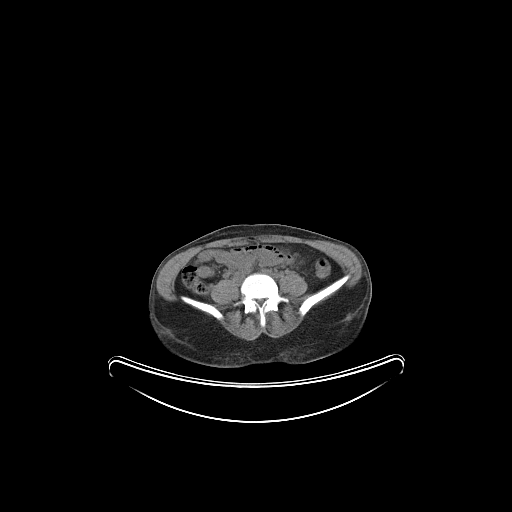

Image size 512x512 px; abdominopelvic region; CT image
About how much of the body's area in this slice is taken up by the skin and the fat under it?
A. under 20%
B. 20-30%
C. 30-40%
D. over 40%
D. over 40%
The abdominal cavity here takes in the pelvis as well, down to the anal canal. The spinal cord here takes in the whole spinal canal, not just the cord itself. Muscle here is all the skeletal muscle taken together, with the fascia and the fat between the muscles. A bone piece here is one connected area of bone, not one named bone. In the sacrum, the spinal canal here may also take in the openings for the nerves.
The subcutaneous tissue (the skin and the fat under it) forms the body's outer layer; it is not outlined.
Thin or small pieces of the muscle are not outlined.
Outlines:
muscle: 261 234; 324 240; 346 247; 361 264; 361 277; 352 288; 341 290; 312 308; 337 291; 350 275; 343 275; 342 268; 322 251; 292 242; 253 242; 237 247; 204 248; 181 268; 174 280; 174 287; 184 303; 220 321; 224 314; 212 303; 211 292; 221 280; 231 280; 239 286; 241 294; 241 298; 233 304; 242 304; 245 314; 257 312; 259 324; 264 328; 266 313; 276 312; 281 302; 289 302; 286 296; 279 293; 277 283; 294 272; 307 283; 306 291; 313 293; 297 309; 301 317; 307 316; 288 334; 278 338; 262 334; 254 340; 245 340; 232 335; 203 313; 180 303; 169 302; 159 295; 156 287; 159 272; 178 253; 219 239
bones 1: 255 272; 269 275; 277 284; 278 293; 288 299; 288 302; 281 301; 278 304; 276 311; 270 310; 265 313; 264 327; 260 324; 260 315; 257 311; 245 313; 244 305; 242 303; 237 305; 234 304; 242 298; 240 287; 244 279; 249 274; inner edge: 257 298; 258 298; 259 299; 260 299; 261 298; 262 298; 263 298; 264 299; 265 299; 264 300; 264 301; 263 302; 262 303; 262 304; 261 305; 260 305; 259 304; 258 303; 257 302; 256 301; 256 300; 256 299
bones 2: 346 274; 348 274; 349 275; 348 279; 337 290; 313 305; 305 315; 303 316; 301 316; 300 315; 298 311; 298 309; 301 303; 307 297; 313 294; 315 292; 322 289; 324 287; 329 285; 338 278; 340 278
bones 3: 181 295; 185 295; 193 299; 195 299; 196 300; 198 300; 202 302; 205 302; 206 303; 209 303; 210 304; 212 304; 223 314; 223 318; 220 320; 218 320; 216 319; 212 315; 209 314; 207 312; 202 311; 184 302; 180 298; 180 296
spinal cord: 257 298; 258 298; 259 299; 260 299; 261 298; 262 298; 263 298; 264 299; 265 299; 264 300; 264 301; 263 302; 262 303; 262 304; 261 305; 260 305; 259 304; 258 303; 257 302; 256 301; 256 300; 256 299
torso: 260 223; 285 224; 307 229; 346 241; 361 252; 370 272; 372 290; 367 317; 358 339; 351 346; 338 353; 304 364; 272 362; 236 368; 219 368; 194 363; 167 351; 159 342; 152 329; 147 308; 151 279; 161 260; 178 247; 224 226
abdominal cavity: 253 243; 307 245; 329 257; 341 268; 342 276; 314 292; 308 292; 308 283; 294 271; 277 282; 269 274; 255 271; 249 273; 240 286; 231 279; 221 279; 211 289; 211 303; 182 294; 175 287; 175 280; 198 253; 207 248; 237 248